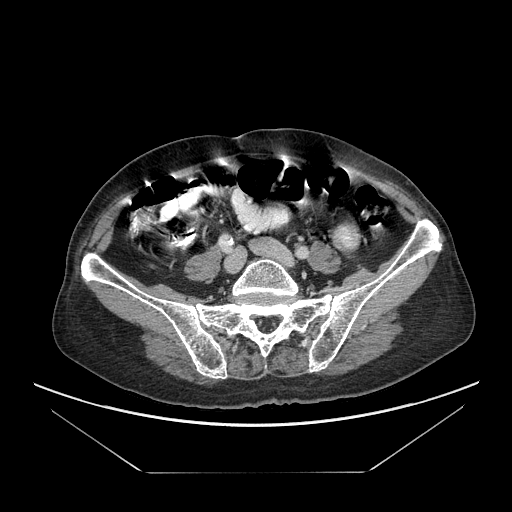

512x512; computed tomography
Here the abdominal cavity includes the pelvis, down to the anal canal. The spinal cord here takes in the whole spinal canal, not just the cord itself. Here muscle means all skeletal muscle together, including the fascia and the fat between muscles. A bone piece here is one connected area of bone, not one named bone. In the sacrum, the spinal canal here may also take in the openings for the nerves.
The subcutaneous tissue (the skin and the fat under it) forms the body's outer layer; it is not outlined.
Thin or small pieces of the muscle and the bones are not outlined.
Outlines:
torso: [[259,128],[300,128],[339,136],[404,173],[438,209],[450,229],[475,302],[476,317],[470,337],[425,369],[367,395],[239,410],[157,402],[122,390],[65,357],[53,339],[52,313],[64,275],[69,239],[95,192],[130,160],[164,143],[202,134],[238,136]]
spinal cord: [[266,315],[271,315],[273,317],[274,317],[276,319],[276,322],[277,323],[276,324],[276,327],[269,332],[263,332],[262,331],[261,331],[259,328],[259,324],[258,323],[258,319],[260,317],[261,317],[262,316],[265,316]]
abdominal cavity: [[253,158],[293,160],[342,171],[367,180],[388,198],[411,230],[376,270],[360,268],[346,275],[337,285],[307,293],[300,290],[299,284],[279,261],[258,257],[248,261],[225,292],[202,298],[161,283],[147,285],[105,259],[121,213],[142,190],[156,183]]; inner edge: [[208,251],[213,251],[214,252],[216,252],[219,255],[219,258],[218,259],[219,261],[219,270],[217,273],[217,275],[209,282],[196,281],[195,280],[189,279],[187,277],[186,273],[184,271],[184,267],[186,262],[191,257],[193,257],[200,253],[203,253]]
bones: [[423,218],[437,226],[441,250],[387,280],[333,360],[311,373],[308,350],[325,315],[266,357],[241,334],[210,326],[228,373],[212,378],[158,310],[81,275],[83,255],[95,252],[150,295],[221,304],[249,261],[270,258],[300,296],[335,295],[378,277]]; inner edge: [[266,315],[271,315],[273,317],[274,317],[276,319],[276,322],[277,323],[276,324],[276,327],[269,332],[263,332],[262,331],[261,331],[259,328],[259,324],[258,323],[258,319],[260,317],[261,317],[262,316],[265,316]]
muscle 1: [[240,153],[281,153],[324,159],[386,179],[402,187],[436,219],[444,242],[443,245],[440,240],[440,231],[433,219],[419,218],[412,229],[394,203],[367,179],[299,160],[253,157],[145,187],[120,213],[103,257],[95,251],[82,255],[80,275],[87,284],[94,281],[111,286],[165,317],[196,371],[205,377],[222,380],[200,385],[177,378],[146,358],[136,327],[108,310],[77,279],[75,253],[91,222],[120,195],[169,172]]
muscle 2: [[441,251],[427,278],[403,305],[401,310],[401,320],[403,329],[391,349],[379,357],[361,365],[356,369],[350,370],[340,375],[318,376],[312,373],[316,373],[324,370],[334,360],[346,340],[363,306],[387,281],[393,278],[408,265],[430,252],[439,253]]
muscle 3: [[321,316],[325,316],[325,319],[319,324],[317,334],[307,350],[308,373],[295,377],[268,374],[254,380],[228,378],[225,353],[220,343],[207,331],[210,327],[230,337],[241,335],[256,344],[260,355],[266,358],[276,344],[288,340],[293,332],[303,335]]
muscle 4: [[118,270],[136,278],[147,286],[155,286],[161,284],[169,287],[178,293],[184,295],[196,296],[202,299],[213,298],[225,293],[230,289],[229,300],[221,303],[204,303],[198,301],[196,303],[192,304],[167,299],[162,297],[158,297],[150,294],[136,286]]
muscle 5: [[208,251],[213,251],[214,252],[216,252],[219,255],[219,258],[218,259],[219,261],[219,270],[217,273],[217,275],[209,282],[196,281],[195,280],[189,279],[187,277],[186,273],[184,271],[184,267],[186,262],[191,257],[193,257],[200,253],[203,253]]
muscle 6: [[400,246],[401,246],[397,254],[390,264],[378,276],[368,282],[335,294],[326,292],[319,296],[300,295],[300,291],[307,294],[315,294],[326,291],[330,288],[339,285],[346,276],[360,269],[365,269],[374,272],[378,269],[379,265],[382,262],[387,260]]
muscle 7: [[316,242],[321,242],[322,243],[327,244],[332,249],[333,249],[340,257],[341,263],[340,264],[340,267],[337,271],[333,273],[323,273],[320,271],[317,271],[313,269],[311,267],[308,262],[308,259],[310,257],[312,246],[314,244],[314,243]]